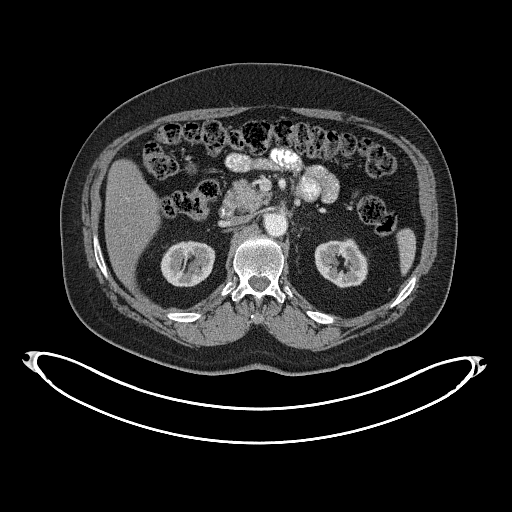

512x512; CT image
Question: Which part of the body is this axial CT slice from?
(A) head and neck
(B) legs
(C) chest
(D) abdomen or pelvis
Answer: (D) abdomen or pelvis
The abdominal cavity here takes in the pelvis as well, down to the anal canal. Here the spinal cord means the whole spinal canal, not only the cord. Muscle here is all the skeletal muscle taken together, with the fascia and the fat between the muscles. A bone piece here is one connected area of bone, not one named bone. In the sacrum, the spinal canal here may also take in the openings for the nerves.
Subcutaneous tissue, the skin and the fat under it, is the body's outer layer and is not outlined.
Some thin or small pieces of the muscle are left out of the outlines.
{"torso":[[[293,376],[351,366],[398,347],[424,332],[439,314],[455,262],[457,205],[452,177],[436,139],[415,113],[383,91],[299,64],[220,64],[172,78],[127,99],[90,132],[64,182],[59,208],[61,264],[72,310],[105,341],[168,367],[204,375],[263,369]]],"bones":[{"outer":[[257,304],[266,295],[274,297],[280,304],[287,295],[293,297],[287,285],[281,287],[278,283],[284,266],[281,248],[276,241],[265,235],[250,236],[239,244],[233,262],[233,269],[237,276],[228,281],[220,292],[222,296],[229,293],[234,302],[250,294]],"hole":[[258,291],[261,291],[262,290],[263,290],[268,285],[268,284],[269,283],[269,281],[265,277],[255,277],[254,276],[253,277],[251,277],[249,279],[249,283],[250,284],[250,285],[255,290],[257,290]]},[[108,280],[109,280],[109,275],[108,274],[107,268],[106,267],[106,265],[103,258],[103,255],[102,254],[102,251],[101,250],[99,239],[98,238],[97,234],[94,234],[93,236],[93,247],[94,248],[95,259],[97,262],[97,264],[101,272]],[[180,322],[192,322],[193,321],[195,321],[197,319],[198,319],[200,317],[201,317],[201,313],[200,313],[199,312],[181,312],[180,311],[169,311],[166,313],[166,316],[172,320],[175,320],[176,321],[179,321]],[[390,308],[392,308],[395,305],[401,302],[411,292],[411,291],[414,287],[414,285],[416,281],[416,276],[414,274],[412,274],[410,276],[410,277],[408,279],[405,285],[396,296],[394,300],[389,305],[389,307]],[[319,323],[332,323],[336,319],[336,316],[335,315],[333,315],[332,314],[328,314],[327,313],[324,313],[323,312],[320,312],[319,311],[312,311],[311,310],[307,310],[306,311],[306,314],[310,318],[311,318],[313,320],[314,320],[316,322],[318,322]],[[256,324],[258,324],[259,323],[260,323],[261,322],[262,322],[262,320],[263,319],[263,318],[262,317],[262,316],[261,315],[260,315],[258,313],[256,313],[255,314],[252,314],[251,315],[251,318],[252,319],[252,321],[254,323],[255,323]]],"muscle":[{"outer":[[311,352],[316,352],[333,347],[352,338],[355,338],[367,334],[374,330],[379,329],[385,325],[395,321],[404,313],[407,307],[415,298],[416,294],[431,272],[432,267],[436,259],[436,254],[437,253],[438,207],[436,199],[435,178],[433,174],[433,171],[429,162],[419,149],[410,141],[390,128],[383,125],[380,125],[372,120],[363,117],[359,117],[352,114],[348,114],[343,111],[338,111],[337,110],[321,109],[320,108],[292,107],[286,105],[277,105],[276,104],[261,104],[260,105],[252,105],[251,106],[199,108],[198,109],[184,110],[175,113],[171,113],[164,116],[161,116],[154,119],[152,121],[140,125],[136,128],[117,137],[108,144],[96,158],[86,177],[86,180],[82,190],[82,197],[81,198],[81,219],[82,220],[83,243],[88,265],[91,269],[100,289],[104,294],[109,304],[114,310],[140,324],[147,326],[154,331],[163,334],[167,337],[181,344],[189,346],[191,348],[205,349],[206,348],[216,347],[220,345],[224,345],[239,339],[253,326],[260,325],[280,342],[299,350],[310,351]],"holes":[[[319,323],[358,315],[392,298],[392,308],[414,287],[411,273],[419,259],[423,220],[415,168],[400,147],[352,123],[262,108],[164,122],[118,151],[104,175],[99,235],[93,236],[95,259],[108,280],[109,271],[138,301],[187,308],[224,281],[232,255],[237,276],[220,294],[229,293],[234,302],[250,294],[257,304],[270,295],[281,304],[287,295],[293,297],[287,285],[278,283],[286,262],[290,282],[318,310],[306,314]],[[180,322],[192,322],[193,321],[195,321],[197,319],[198,319],[200,317],[201,317],[201,313],[200,313],[199,312],[181,312],[180,311],[169,311],[166,313],[166,316],[172,320],[175,320],[176,321],[179,321]],[[256,324],[258,324],[259,323],[260,323],[261,322],[262,322],[262,320],[263,319],[263,318],[262,317],[262,316],[261,315],[260,315],[258,313],[256,313],[255,314],[252,314],[251,315],[251,318],[252,319],[252,321],[254,323],[255,323]]]}],"spinal_cord":[[[258,291],[261,291],[262,290],[263,290],[268,285],[268,284],[269,283],[269,281],[265,277],[255,277],[254,276],[253,277],[251,277],[249,279],[249,283],[250,284],[250,285],[255,290],[257,290]]],"abdominal_cavity":[[[343,317],[393,298],[419,259],[423,220],[416,172],[395,143],[352,123],[262,108],[228,117],[164,122],[114,156],[101,187],[99,238],[110,273],[136,300],[164,308],[197,303],[224,281],[238,244],[250,235],[265,234],[281,246],[292,285],[318,310]]]}